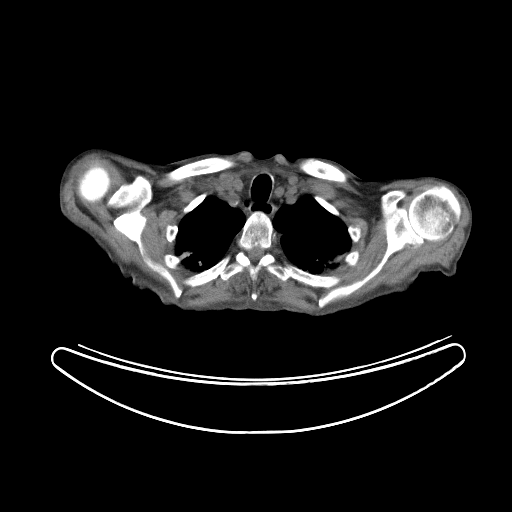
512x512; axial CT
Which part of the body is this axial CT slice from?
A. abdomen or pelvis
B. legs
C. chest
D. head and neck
Answer: C. chest
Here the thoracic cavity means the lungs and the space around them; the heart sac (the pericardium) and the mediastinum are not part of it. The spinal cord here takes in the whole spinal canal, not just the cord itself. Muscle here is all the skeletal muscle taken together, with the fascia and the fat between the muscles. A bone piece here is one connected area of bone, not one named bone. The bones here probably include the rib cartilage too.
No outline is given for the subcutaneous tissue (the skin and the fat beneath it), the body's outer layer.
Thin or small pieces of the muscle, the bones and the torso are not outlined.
Outlines (x, y in pixels):
torso: (241, 150) (257, 158) (276, 153) (291, 161) (301, 156) (328, 158) (364, 180) (414, 177) (406, 214) (442, 273) (421, 273) (406, 292) (317, 317) (283, 310) (185, 311) (134, 287) (94, 241) (61, 213) (87, 210) (109, 197) (115, 169) (112, 151) (164, 164) (206, 152)
left arm: (422, 175) (436, 176) (453, 182) (463, 190) (468, 197) (471, 205) (472, 209) (472, 228) (470, 236) (463, 253) (457, 264) (456, 273) (454, 276) (451, 277) (448, 277) (444, 275) (435, 256) (415, 231) (407, 214) (407, 209) (413, 187) (414, 179) (416, 176) (421, 176)
spinal cord: (257, 246) (258, 247) (259, 247) (260, 248) (261, 248) (263, 250) (263, 254) (261, 256) (261, 257) (256, 262) (255, 262) (254, 263) (253, 262) (252, 262) (248, 257) (248, 256) (247, 255) (247, 252) (252, 248) (253, 248) (254, 247) (256, 247)
mediastinum: (259, 170) (270, 170) (282, 178) (297, 184) (304, 193) (301, 194) (295, 202) (291, 204) (284, 203) (275, 211) (271, 219) (265, 212) (261, 210) (254, 210) (247, 217) (242, 209) (238, 206) (231, 206) (226, 201) (212, 194) (228, 180) (231, 180) (233, 178) (247, 178)
thoracic cavity 1: (305, 193) (311, 195) (329, 213) (339, 217) (345, 224) (351, 241) (349, 252) (344, 257) (344, 262) (328, 274) (312, 273) (291, 263) (285, 257) (280, 248) (278, 243) (278, 233) (275, 230) (272, 222) (272, 219) (279, 208) (284, 204) (291, 205) (295, 203) (297, 199)
thoracic cavity 2: (209, 195) (216, 196) (231, 207) (238, 207) (244, 213) (246, 218) (238, 235) (235, 238) (235, 242) (231, 244) (228, 251) (213, 265) (195, 272) (184, 266) (181, 263) (180, 258) (174, 254) (174, 243) (179, 230) (178, 225) (182, 218) (185, 214) (191, 212) (196, 208)
right arm: (89, 148) (105, 148) (112, 152) (113, 160) (114, 161) (114, 169) (111, 179) (109, 195) (103, 202) (93, 207) (90, 207) (87, 209) (83, 209) (78, 211) (60, 212) (60, 208) (58, 202) (58, 186) (60, 181) (60, 177) (64, 167) (70, 159) (75, 155)
bones 1: (434, 185) (459, 202) (452, 231) (406, 244) (362, 286) (322, 308) (330, 288) (283, 281) (264, 267) (254, 281) (245, 268) (226, 280) (183, 283) (233, 253) (246, 219) (261, 211) (277, 233) (279, 263) (349, 284) (384, 255) (381, 196) (403, 190) (398, 205) (407, 208) with a hole at (257, 246) (258, 247) (259, 247) (260, 248) (261, 248) (263, 250) (263, 254) (261, 256) (261, 257) (256, 262) (255, 262) (254, 263) (253, 262) (252, 262) (248, 257) (248, 256) (247, 255) (247, 252) (252, 248) (253, 248) (254, 247) (256, 247)
bones 2: (139, 174) (150, 182) (152, 191) (150, 201) (140, 211) (147, 219) (141, 241) (145, 253) (157, 263) (164, 263) (165, 254) (179, 258) (176, 268) (168, 269) (182, 289) (178, 298) (168, 281) (144, 262) (138, 245) (113, 223) (133, 206) (107, 205) (122, 184) (130, 183)
bones 3: (97, 161) (98, 162) (100, 162) (100, 163) (108, 170) (110, 175) (110, 178) (111, 179) (110, 187) (104, 196) (99, 200) (97, 200) (93, 202) (89, 202) (85, 200) (82, 200) (78, 196) (76, 192) (76, 183) (77, 182) (77, 179) (82, 173) (82, 172) (90, 164)
bones 4: (212, 156) (221, 156) (233, 161) (234, 162) (234, 165) (232, 167) (226, 168) (213, 173) (206, 173) (205, 174) (193, 175) (192, 176) (182, 178) (179, 180) (171, 180) (166, 177) (166, 174) (175, 168) (177, 168) (184, 164) (196, 160) (199, 160) (203, 158) (211, 157)
bones 5: (307, 158) (315, 158) (336, 166) (344, 173) (345, 173) (346, 175) (346, 181) (345, 182) (339, 182) (338, 181) (334, 181) (333, 180) (329, 180) (328, 179) (324, 179) (323, 178) (312, 176) (305, 173) (299, 168) (299, 164) (302, 160)
bones 6: (202, 193) (206, 193) (206, 196) (204, 198) (204, 199) (196, 207) (195, 207) (191, 211) (190, 211) (187, 213) (184, 213) (183, 212) (183, 209) (184, 208) (184, 207) (187, 204) (188, 204) (191, 200) (192, 200) (195, 197) (196, 197) (198, 195) (199, 195)
bones 7: (316, 195) (322, 197) (325, 200) (326, 200) (328, 202) (329, 202) (332, 205) (333, 205) (338, 210) (338, 211) (339, 212) (339, 216) (337, 216) (336, 215) (335, 215) (334, 214) (333, 214) (332, 213) (329, 212) (326, 209) (325, 209) (314, 198) (314, 197)
bones 8: (167, 225) (176, 225) (177, 226) (177, 228) (178, 229) (178, 230) (177, 231) (177, 234) (176, 235) (176, 237) (175, 238) (175, 240) (173, 242) (169, 242) (167, 240) (167, 239) (166, 238) (166, 235) (165, 234) (165, 232) (166, 231) (166, 226)
bones 9: (350, 225) (351, 226) (357, 226) (358, 227) (359, 227) (360, 228) (360, 237) (359, 238) (359, 239) (356, 242) (352, 242) (352, 241) (351, 240) (351, 238) (350, 237) (350, 236) (349, 235) (349, 234) (348, 233) (348, 230) (347, 229) (347, 227) (348, 226) (349, 226)
bones 10: (352, 250) (357, 250) (359, 252) (359, 257) (358, 258) (358, 260) (357, 261) (357, 262) (354, 265) (349, 265) (348, 264) (347, 264) (345, 262) (345, 257) (350, 252) (350, 251) (351, 251)
muscle 1: (91, 153) (169, 171) (165, 177) (171, 181) (232, 168) (235, 162) (222, 156) (240, 153) (261, 164) (276, 157) (301, 160) (298, 168) (309, 176) (345, 183) (347, 173) (369, 188) (432, 179) (460, 194) (469, 219) (449, 267) (426, 266) (399, 284) (324, 307) (362, 287) (406, 245) (445, 239) (462, 212) (448, 186) (424, 189) (407, 207) (399, 205) (407, 194) (403, 189) (383, 193) (383, 255) (361, 278) (339, 284) (341, 278) (329, 274) (341, 264) (358, 262) (360, 252) (350, 248) (360, 239) (361, 228) (347, 226) (329, 201) (270, 169) (233, 177) (211, 194) (191, 199) (178, 224) (165, 226) (173, 253) (165, 253) (163, 263) (155, 261) (142, 241) (148, 219) (141, 211) (152, 199) (152, 184) (139, 173) (122, 183) (106, 205) (132, 206) (112, 223) (137, 245) (143, 262) (167, 281) (176, 299) (183, 289) (169, 269) (180, 263) (194, 272) (182, 280) (189, 287) (218, 277) (226, 281) (245, 269) (254, 282) (264, 268) (283, 282) (291, 278) (330, 289) (318, 298) (321, 309) (316, 311) (277, 302) (188, 306) (168, 298) (160, 282) (122, 261) (68, 215) (63, 186) (71, 167); inner edges: (97, 161) (98, 162) (100, 162) (100, 163) (108, 170) (110, 175) (110, 178) (111, 179) (110, 187) (104, 196) (99, 200) (97, 200) (93, 202) (89, 202) (85, 200) (82, 200) (78, 196) (76, 192) (76, 183) (77, 182) (77, 179) (82, 173) (82, 172) (90, 164), then (253, 290) (254, 290) (255, 291) (256, 292) (256, 293) (257, 294) (257, 295) (257, 296) (257, 297) (256, 298) (256, 299) (255, 300) (254, 300) (253, 300) (252, 299) (251, 298) (251, 297) (251, 296) (251, 295) (251, 294) (251, 293) (252, 292) (252, 291)
muscle 2: (277, 244) (278, 244) (278, 245) (279, 246) (279, 248) (280, 249) (281, 252) (283, 254) (284, 257) (288, 261) (284, 261) (283, 262) (279, 262) (278, 261) (278, 258) (277, 257) (277, 255) (276, 254) (276, 253) (277, 252) (277, 251) (276, 250) (276, 246) (277, 245)